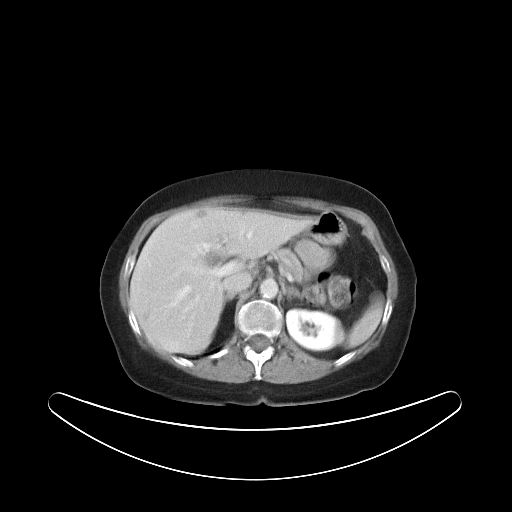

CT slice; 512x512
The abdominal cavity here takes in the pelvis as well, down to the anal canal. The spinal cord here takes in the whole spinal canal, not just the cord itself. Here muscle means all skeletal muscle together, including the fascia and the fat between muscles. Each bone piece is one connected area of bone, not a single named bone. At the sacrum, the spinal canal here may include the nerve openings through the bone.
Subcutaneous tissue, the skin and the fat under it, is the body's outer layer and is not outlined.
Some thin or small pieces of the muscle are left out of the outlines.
The torso is outlined by 240 166; 284 167; 346 179; 372 192; 388 209; 415 267; 416 307; 402 357; 389 379; 378 387; 341 399; 303 405; 207 405; 174 400; 153 393; 136 385; 124 372; 106 327; 99 297; 100 272; 111 242; 137 206; 161 187; 189 176. The spinal cord is outlined by 256 334; 261 334; 262 335; 264 335; 266 337; 267 337; 267 338; 269 341; 269 344; 264 349; 263 349; 261 351; 259 351; 258 352; 257 351; 254 350; 251 347; 251 346; 248 342; 249 341; 250 338; 253 335; 255 335. The muscle appears in 3 outlined pieces: piece 1: 225 194; 248 195; 253 197; 305 197; 353 207; 366 213; 376 225; 384 245; 392 258; 397 273; 398 294; 393 312; 393 305; 391 299; 389 297; 387 297; 386 299; 386 274; 391 271; 390 263; 383 254; 378 255; 371 242; 374 238; 373 231; 368 222; 363 217; 361 218; 361 222; 365 226; 366 234; 361 224; 336 210; 314 210; 308 208; 301 208; 298 206; 274 200; 259 199; 246 201; 235 205; 210 205; 203 207; 193 207; 174 213; 156 224; 141 242; 136 256; 135 257; 133 254; 129 255; 126 258; 124 264; 123 277; 129 277; 127 286; 127 321; 119 301; 118 278; 127 250; 143 221; 149 216; 158 212; 203 198; piece 2: 389 320; 376 348; 361 359; 330 374; 315 380; 293 384; 275 384; 260 380; 263 364; 275 352; 273 343; 280 333; 282 325; 287 336; 300 349; 316 358; 334 360; 332 364; 339 367; 356 354; 357 349; 370 339; 380 324; 385 326; piece 3: 236 324; 244 335; 242 353; 252 363; 256 380; 244 383; 207 380; 185 373; 141 349; 130 329; 136 336; 142 335; 154 350; 169 355; 182 367; 191 368; 194 366; 194 360; 204 357; 217 359; 229 353; 230 348; 224 346; 232 337. The abdominal cavity is outlined by 259 200; 336 211; 362 226; 386 278; 385 303; 377 329; 359 347; 335 359; 316 357; 288 336; 282 312; 274 303; 255 298; 241 305; 231 337; 217 351; 192 361; 154 349; 142 334; 128 302; 130 274; 146 236; 160 222; 180 212. The bones appear in 9 outlined pieces: piece 1: 255 299; 265 300; 274 304; 282 315; 280 331; 272 343; 274 352; 272 356; 262 364; 260 369; 261 379; 259 380; 255 379; 255 368; 253 363; 247 359; 243 353; 243 348; 246 343; 244 340; 245 335; 236 322; 236 315; 242 305; inner edge: 256 334; 261 334; 262 335; 264 335; 266 337; 267 337; 267 338; 269 341; 269 344; 264 349; 263 349; 261 351; 259 351; 258 352; 257 351; 254 350; 251 347; 251 346; 248 342; 249 341; 250 338; 253 335; 255 335; piece 2: 129 301; 129 303; 131 306; 131 308; 133 311; 133 313; 135 316; 135 318; 139 326; 139 329; 141 332; 141 335; 136 335; 133 332; 130 326; 130 324; 128 321; 128 312; 129 311; 129 305; 128 303; piece 3: 387 298; 389 298; 391 301; 391 304; 392 305; 392 312; 390 315; 390 317; 387 323; 385 325; 384 325; 382 324; 381 322; 382 321; 382 317; 384 313; 384 308; 385 307; 385 304; 386 303; 386 300; piece 4: 353 350; 356 350; 356 352; 355 353; 355 354; 350 359; 349 359; 347 361; 346 361; 344 363; 343 363; 341 365; 340 365; 339 366; 336 366; 333 364; 334 361; 336 359; 339 358; 344 354; 345 354; 348 352; 350 352; piece 5: 131 255; 133 255; 134 256; 134 257; 135 258; 135 261; 134 262; 133 267; 131 270; 131 272; 129 274; 129 276; 128 276; 127 277; 124 277; 124 272; 125 271; 125 264; 126 263; 127 258; 129 256; 130 256; piece 6: 171 356; 179 356; 180 357; 182 357; 183 358; 185 358; 186 359; 187 359; 188 360; 190 360; 193 363; 193 366; 192 366; 191 367; 189 367; 188 366; 182 366; 181 365; 180 365; 179 364; 178 364; 172 358; 172 357; piece 7: 380 255; 383 255; 387 259; 387 260; 389 263; 389 267; 390 268; 390 271; 387 273; 386 273; 384 271; 384 270; 383 269; 383 268; 382 267; 382 266; 380 263; 380 260; 379 259; 379 256; piece 8: 224 347; 227 347; 228 348; 229 348; 229 352; 228 352; 226 354; 225 354; 220 357; 218 357; 217 358; 209 358; 208 357; 208 356; 209 355; 210 355; 211 354; 213 354; 214 353; 217 352; 219 350; 220 350; 222 348; 223 348; piece 9: 362 218; 363 218; 367 222; 367 223; 368 224; 368 225; 369 226; 369 227; 371 229; 371 230; 372 231; 372 233; 373 234; 373 238; 371 240; 370 240; 368 238; 368 237; 366 235; 367 234; 367 230; 366 229; 366 226; 362 222.